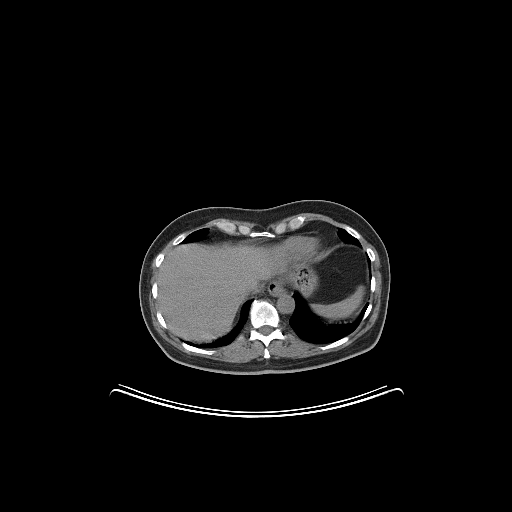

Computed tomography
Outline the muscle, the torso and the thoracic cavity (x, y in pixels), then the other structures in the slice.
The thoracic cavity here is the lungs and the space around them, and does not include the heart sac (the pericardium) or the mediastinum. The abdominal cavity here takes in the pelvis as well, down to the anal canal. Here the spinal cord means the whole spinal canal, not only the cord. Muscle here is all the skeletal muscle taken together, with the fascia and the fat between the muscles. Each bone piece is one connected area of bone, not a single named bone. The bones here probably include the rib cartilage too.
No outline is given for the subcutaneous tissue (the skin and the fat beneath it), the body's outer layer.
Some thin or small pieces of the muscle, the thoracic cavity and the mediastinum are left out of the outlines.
The muscle appears in 4 outlined pieces: piece 1: (361, 234) (376, 249) (382, 264) (383, 298) (374, 324) (352, 343) (336, 351) (294, 359) (274, 360) (270, 358) (268, 347) (270, 342) (274, 339) (284, 341) (289, 336) (284, 333) (282, 322) (300, 339) (313, 344) (322, 344) (318, 348) (324, 351) (345, 343) (361, 320) (364, 320) (369, 315) (373, 306) (369, 302) (370, 292) (372, 293) (376, 288) (376, 278) (371, 273) (371, 263) (375, 260) (376, 256) (370, 247) (364, 249) (361, 246) (359, 242); piece 2: (154, 258) (157, 276) (156, 280) (151, 285) (151, 294) (152, 297) (157, 300) (158, 309) (155, 313) (156, 319) (164, 329) (168, 329) (181, 341) (180, 344) (185, 350) (199, 354) (212, 355) (216, 352) (214, 349) (241, 339) (244, 336) (241, 332) (249, 323) (250, 327) (248, 329) (247, 338) (249, 341) (259, 340) (262, 342) (264, 346) (263, 357) (267, 359) (244, 363) (214, 360) (187, 354) (167, 342) (157, 332) (152, 323) (147, 297) (150, 266); piece 3: (304, 212) (318, 213) (319, 214) (323, 214) (329, 216) (337, 221) (346, 224) (343, 224) (341, 227) (338, 227) (331, 223) (325, 221) (320, 221) (319, 220) (313, 220) (305, 223) (307, 220) (307, 218) (304, 215) (299, 214) (291, 218) (287, 222) (284, 221) (279, 222) (274, 227) (273, 231) (270, 231) (269, 230) (254, 230) (251, 229) (249, 226) (245, 224) (238, 224) (237, 225) (232, 221) (226, 220) (225, 219) (216, 220) (213, 223) (213, 225) (216, 228) (202, 227) (196, 230) (194, 230) (189, 234) (184, 231) (193, 228) (196, 226) (199, 226) (210, 220) (216, 218) (227, 218) (228, 219) (236, 219) (242, 221) (249, 221) (250, 222) (255, 222) (263, 226) (265, 226) (270, 223) (278, 221) (285, 217) (303, 213); piece 4: (172, 239) (172, 240) (171, 241) (171, 244) (173, 246) (171, 248) (171, 249) (170, 249) (169, 250) (169, 251) (168, 251) (167, 252) (167, 253) (165, 255) (165, 254) (163, 252) (162, 252) (161, 251) (161, 250) (163, 248) (163, 247) (170, 240) (171, 240). The torso is outlined by (307, 199) (329, 200) (351, 208) (370, 223) (385, 245) (390, 266) (390, 287) (387, 313) (376, 344) (370, 350) (349, 359) (292, 373) (216, 373) (182, 365) (170, 359) (148, 331) (140, 308) (140, 270) (146, 251) (156, 236) (178, 216) (199, 208) (231, 206) (261, 209). The thoracic cavity appears in 4 outlined pieces: piece 1: (295, 292) (305, 302) (309, 311) (316, 318) (327, 325) (351, 323) (359, 316) (364, 306) (366, 304) (367, 305) (358, 325) (348, 335) (345, 335) (339, 339) (325, 344) (322, 343) (313, 343) (300, 338) (284, 322) (287, 323) (289, 321) (295, 309) (296, 302) (293, 295); piece 2: (250, 299) (252, 299) (252, 300) (250, 303) (248, 310) (248, 322) (244, 326) (240, 333) (230, 343) (215, 348) (209, 348) (208, 349) (207, 348) (198, 347) (189, 344) (186, 342) (191, 342) (195, 344) (209, 344) (227, 335) (239, 322) (242, 314) (242, 307) (243, 305); piece 3: (202, 228) (208, 228) (209, 229) (208, 230) (208, 233) (207, 235) (206, 235) (202, 238) (200, 238) (196, 240) (193, 240) (192, 241) (183, 241) (187, 237) (188, 235) (189, 235) (194, 231) (196, 231); piece 4: (338, 228) (341, 228) (342, 229) (343, 229) (348, 234) (349, 234) (354, 238) (357, 239) (358, 240) (358, 242) (361, 247) (360, 247) (359, 246) (358, 246) (353, 243) (347, 243) (346, 242) (343, 241) (339, 237) (339, 236) (338, 235). The pericardium is outlined by (306, 231) (318, 231) (323, 234) (327, 241) (327, 248) (323, 252) (314, 255) (310, 259) (305, 262) (298, 261) (292, 257) (287, 256) (285, 254) (273, 248) (264, 246) (260, 244) (256, 244) (255, 243) (278, 236) (285, 236) (292, 233) (298, 233) (299, 232) (305, 232). The bones appear in 13 outlined pieces: piece 1: (254, 299) (266, 300) (276, 308) (281, 321) (282, 331) (284, 334) (288, 335) (287, 338) (284, 340) (274, 338) (269, 342) (267, 347) (269, 358) (264, 357) (265, 346) (262, 341) (259, 339) (249, 340) (248, 338) (249, 329) (251, 327) (249, 322) (249, 310) (251, 303), around a hole outlined by (265, 325) (267, 325) (268, 326) (270, 326) (271, 327) (272, 327) (272, 330) (268, 334) (267, 334) (266, 335) (265, 335) (264, 334) (263, 334) (262, 333) (261, 333) (258, 330) (258, 329) (260, 327) (261, 327) (262, 326) (264, 326); piece 2: (299, 215) (302, 215) (306, 218) (302, 226) (293, 230) (288, 228) (285, 232) (277, 234) (273, 237) (232, 235) (218, 229) (214, 225) (216, 221) (225, 220) (232, 222) (237, 226) (245, 225) (254, 231) (273, 232) (275, 227) (279, 223) (287, 223) (291, 219); piece 3: (181, 342) (185, 342) (189, 345) (191, 345) (192, 346) (194, 346) (198, 348) (201, 348) (202, 349) (207, 349) (208, 350) (209, 349) (213, 349) (215, 351) (215, 352) (212, 354) (205, 354) (204, 353) (199, 353) (198, 352) (195, 352) (194, 351) (187, 350) (182, 346); piece 4: (345, 336) (348, 336) (348, 339) (345, 342) (337, 346) (335, 346) (331, 348) (328, 348) (324, 350) (322, 349) (320, 349) (319, 348) (319, 346) (321, 345) (325, 345) (326, 344) (329, 344) (332, 342) (334, 342) (337, 340) (339, 340); piece 5: (343, 225) (348, 225) (349, 226) (350, 226) (351, 227) (352, 227) (354, 229) (355, 229) (360, 234) (360, 238) (359, 239) (358, 239) (357, 238) (356, 238) (355, 237) (354, 237) (352, 235) (351, 235) (349, 233) (348, 233) (343, 228) (342, 228) (342, 226); piece 6: (182, 232) (184, 232) (185, 233) (186, 233) (187, 234) (187, 235) (186, 236) (186, 237) (181, 242) (180, 242) (179, 243) (178, 243) (177, 244) (176, 244) (175, 245) (173, 245) (172, 244) (172, 241) (173, 240) (173, 239) (178, 234) (179, 234) (180, 233) (181, 233); piece 7: (158, 310) (159, 310) (160, 311) (160, 312) (161, 313) (161, 314) (162, 315) (162, 316) (163, 317) (163, 318) (165, 321) (165, 323) (167, 325) (167, 327) (168, 328) (164, 328) (160, 324) (160, 323) (158, 321) (158, 320) (157, 319) (157, 317) (156, 316) (156, 313); piece 8: (160, 252) (161, 252) (162, 253) (163, 253) (164, 254) (164, 257) (163, 258) (163, 260) (161, 262) (161, 263) (160, 264) (160, 265) (158, 267) (157, 267) (155, 265) (155, 258) (156, 257) (156, 256) (157, 255) (157, 254) (158, 253) (159, 253); piece 9: (367, 248) (370, 248) (373, 251) (373, 252) (374, 253) (374, 255) (375, 256) (375, 258) (374, 259) (374, 260) (372, 262) (371, 262) (371, 261) (369, 259) (369, 258) (368, 257) (368, 256) (367, 255) (367, 253) (366, 252) (366, 251) (365, 250); piece 10: (371, 275) (373, 275) (374, 276) (374, 277) (375, 278) (375, 288) (374, 289) (374, 290) (372, 292) (371, 292) (370, 291) (370, 279) (371, 278); piece 11: (154, 282) (156, 282) (157, 283) (157, 297) (156, 298) (154, 298) (153, 297) (153, 295) (152, 294) (152, 285) (153, 284) (153, 283); piece 12: (369, 303) (371, 303) (371, 304) (372, 305) (372, 306) (371, 307) (371, 309) (370, 310) (370, 311) (369, 312) (369, 313) (368, 314) (368, 315) (364, 319) (362, 319) (362, 317) (363, 316) (363, 315) (364, 314) (364, 313) (365, 312) (365, 311) (367, 308) (367, 306); piece 13: (241, 333) (242, 334) (243, 335) (243, 336) (242, 337) (241, 338) (240, 338) (239, 339) (238, 339) (237, 340) (236, 340) (235, 341) (234, 341) (235, 340) (235, 339) (236, 338) (237, 337) (238, 336) (239, 335) (240, 334). The mediastinum appears in 3 outlined pieces: piece 1: (272, 278) (280, 278) (284, 281) (289, 283) (294, 289) (294, 292) (292, 295) (293, 296) (293, 299) (295, 302) (295, 306) (287, 322) (281, 320) (277, 308) (271, 302) (268, 301) (266, 299) (263, 299) (262, 298) (254, 298) (253, 299) (253, 296) (259, 292) (264, 285); piece 2: (313, 221) (325, 222) (337, 227) (337, 235) (338, 237) (343, 242) (344, 242) (336, 243) (328, 248) (328, 241) (327, 238) (323, 233) (318, 230) (306, 230) (305, 231) (292, 232) (285, 235) (278, 235) (283, 234) (289, 231) (297, 230) (302, 227) (306, 223) (312, 222); piece 3: (210, 229) (217, 229) (226, 234) (228, 234) (232, 236) (248, 236) (252, 238) (254, 238) (255, 237) (266, 237) (267, 238) (269, 238) (266, 238) (265, 239) (263, 239) (253, 243) (246, 240) (238, 239) (237, 238) (228, 238) (227, 237) (209, 237) (208, 236) (208, 234). The spinal cord is outlined by (265, 325) (267, 325) (268, 326) (270, 326) (271, 327) (272, 327) (272, 330) (268, 334) (267, 334) (266, 335) (265, 335) (264, 334) (263, 334) (262, 333) (261, 333) (258, 330) (258, 329) (260, 327) (261, 327) (262, 326) (264, 326). The abdominal cavity is outlined by (206, 236) (246, 241) (273, 249) (301, 263) (336, 244) (353, 244) (362, 248) (367, 256) (370, 270) (368, 302) (353, 321) (327, 324) (310, 311) (289, 282) (272, 277) (242, 305) (238, 322) (227, 334) (209, 343) (181, 340) (169, 329) (159, 309) (158, 268) (174, 246).